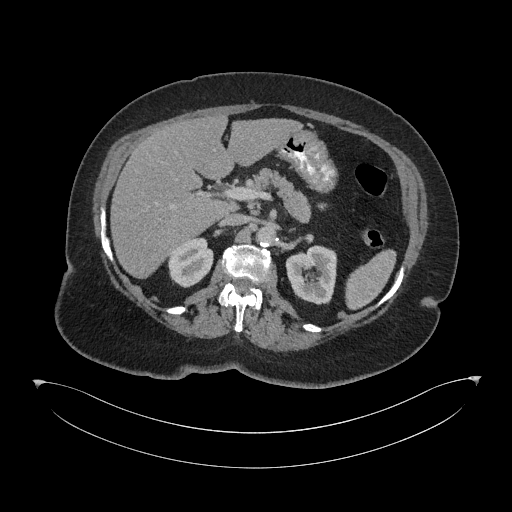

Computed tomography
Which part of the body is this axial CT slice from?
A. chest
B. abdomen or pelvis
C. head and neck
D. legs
Answer: B. abdomen or pelvis
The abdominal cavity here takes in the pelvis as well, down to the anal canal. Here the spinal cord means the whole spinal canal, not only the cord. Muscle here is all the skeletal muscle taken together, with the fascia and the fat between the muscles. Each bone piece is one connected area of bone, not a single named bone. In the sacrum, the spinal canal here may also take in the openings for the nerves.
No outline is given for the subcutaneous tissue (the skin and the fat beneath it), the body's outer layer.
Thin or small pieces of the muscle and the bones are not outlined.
{"abdominal_cavity":[[[262,107],[362,136],[392,160],[403,187],[408,237],[393,282],[375,304],[353,313],[339,310],[325,325],[307,322],[280,294],[270,251],[252,243],[227,246],[209,283],[182,304],[168,306],[156,295],[147,296],[119,269],[106,208],[136,145],[182,120]]],"muscle":[{"outer":[[250,102],[255,102],[256,103],[267,103],[268,102],[271,103],[282,103],[283,104],[289,104],[290,105],[305,107],[332,114],[363,126],[371,132],[377,134],[403,151],[411,159],[417,167],[423,179],[427,193],[428,216],[429,217],[428,219],[429,221],[428,229],[419,254],[419,257],[417,259],[416,263],[413,266],[411,272],[406,280],[406,282],[403,287],[403,291],[396,298],[389,309],[383,315],[371,323],[366,324],[356,329],[352,329],[344,334],[338,335],[334,338],[330,339],[319,345],[305,350],[290,351],[287,353],[281,353],[280,352],[276,353],[269,350],[258,348],[246,340],[240,341],[230,334],[212,339],[203,339],[202,338],[195,338],[194,337],[188,338],[174,330],[166,327],[148,315],[141,308],[135,305],[113,286],[102,263],[102,260],[99,253],[100,248],[94,234],[94,226],[92,218],[93,216],[92,212],[92,196],[93,195],[95,182],[102,163],[110,146],[119,137],[133,130],[136,130],[152,123],[178,115],[185,110],[194,110],[195,109],[211,107],[212,106],[242,104]],"hole":[[262,107],[279,107],[366,138],[389,156],[401,179],[408,237],[399,287],[376,308],[374,304],[353,313],[339,310],[321,331],[302,327],[307,322],[278,290],[274,262],[267,279],[259,285],[261,308],[247,305],[243,329],[236,332],[235,307],[218,301],[228,280],[220,260],[209,283],[183,300],[187,310],[172,314],[156,295],[147,296],[118,267],[116,270],[101,245],[100,207],[107,207],[120,169],[139,142],[182,120]]}],"torso":[[[227,71],[292,73],[354,88],[403,116],[435,154],[456,206],[459,255],[450,292],[439,304],[437,326],[407,360],[370,377],[319,389],[270,384],[236,369],[156,379],[92,361],[60,335],[54,303],[67,268],[67,206],[92,139],[110,117],[143,93]]],"spinal_cord":[[[242,277],[246,277],[247,278],[248,278],[255,285],[255,286],[254,286],[253,287],[251,287],[249,289],[249,290],[250,291],[250,293],[247,293],[246,294],[240,294],[237,291],[237,289],[233,283],[233,280],[236,278],[241,278]]],"bones":[{"outer":[[240,244],[252,244],[269,251],[271,265],[267,279],[259,285],[262,291],[261,308],[257,310],[247,305],[243,313],[243,329],[241,332],[236,332],[233,329],[236,317],[235,307],[221,305],[218,301],[218,295],[228,280],[221,263],[223,252],[231,245]],"hole":[[242,277],[246,277],[247,278],[248,278],[255,285],[255,286],[254,286],[253,287],[251,287],[249,289],[249,290],[250,291],[250,293],[247,293],[246,294],[240,294],[237,291],[237,289],[233,283],[233,280],[236,278],[241,278]]},[[102,205],[103,205],[105,207],[105,210],[106,211],[106,234],[109,239],[109,243],[110,244],[110,247],[111,248],[112,255],[113,256],[114,261],[116,264],[117,270],[115,269],[114,265],[108,259],[101,245],[101,238],[100,237],[101,236],[100,207]],[[401,265],[403,265],[404,266],[404,275],[403,276],[402,281],[399,287],[390,298],[389,298],[386,301],[385,301],[380,306],[376,308],[374,308],[376,303],[388,291],[388,290],[391,287],[392,284],[394,282],[394,280],[396,277],[396,275]],[[174,305],[183,305],[184,306],[185,306],[187,308],[187,310],[185,312],[184,312],[183,313],[181,313],[180,314],[172,314],[171,313],[169,313],[168,312],[167,312],[164,309],[166,307],[168,307],[169,306],[173,306]],[[304,323],[313,323],[314,324],[316,324],[317,325],[318,325],[319,326],[321,326],[322,327],[323,327],[323,329],[321,331],[318,331],[317,332],[311,332],[310,331],[307,331],[306,330],[305,330],[302,327],[302,325]]]}